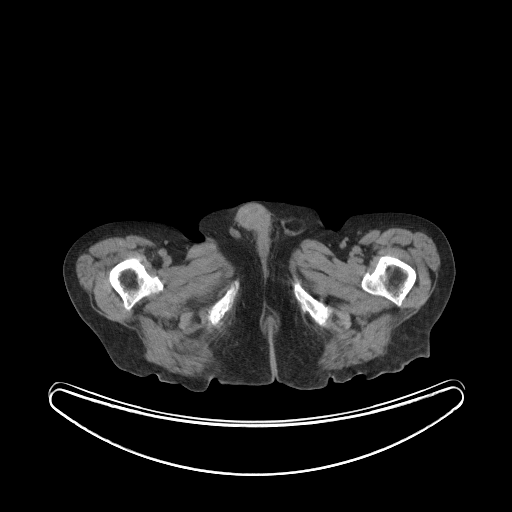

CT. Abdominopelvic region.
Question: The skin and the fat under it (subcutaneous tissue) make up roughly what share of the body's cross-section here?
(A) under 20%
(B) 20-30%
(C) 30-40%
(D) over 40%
Answer: (D) over 40%
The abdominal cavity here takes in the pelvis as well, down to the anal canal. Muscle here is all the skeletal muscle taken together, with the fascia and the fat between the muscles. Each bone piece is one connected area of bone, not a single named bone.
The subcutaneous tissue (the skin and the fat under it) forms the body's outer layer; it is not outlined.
{"torso":[[[256,199],[310,206],[333,230],[371,212],[406,212],[436,224],[450,244],[455,279],[430,332],[429,356],[397,372],[330,379],[313,390],[212,379],[195,392],[118,368],[66,291],[62,265],[73,242],[120,220],[165,223],[201,241],[197,224],[205,214]]],"muscle":[{"outer":[[129,234],[177,250],[217,244],[237,269],[239,280],[235,278],[207,311],[208,323],[215,326],[232,307],[239,289],[240,294],[230,323],[209,343],[215,361],[201,375],[185,376],[148,361],[136,332],[97,313],[79,284],[75,265],[82,250],[98,238]],"hole":[[130,257],[137,257],[139,258],[146,271],[151,276],[157,276],[160,279],[163,283],[163,289],[158,293],[152,294],[149,296],[146,296],[142,298],[129,310],[127,310],[124,307],[123,301],[121,297],[113,288],[109,281],[109,271],[111,268],[117,263]]},{"outer":[[388,225],[408,225],[433,240],[440,257],[435,288],[420,309],[395,329],[384,355],[341,369],[321,369],[317,361],[322,337],[304,321],[292,287],[300,309],[318,325],[327,325],[332,310],[297,278],[289,283],[291,253],[305,238],[337,251],[369,230]],"hole":[[383,255],[390,255],[396,257],[410,265],[415,270],[415,273],[416,274],[415,282],[402,301],[400,306],[396,305],[393,302],[383,296],[371,294],[365,291],[361,287],[361,281],[364,274],[366,272],[369,273],[372,272],[374,270],[380,256]]},{"outer":[[268,310],[272,310],[276,313],[277,313],[278,315],[278,317],[279,318],[279,325],[278,326],[278,328],[277,330],[275,332],[274,331],[272,333],[272,334],[270,333],[268,333],[267,332],[264,332],[261,328],[261,318],[262,316]],"hole":[[269,315],[270,315],[271,316],[272,316],[274,318],[274,320],[275,321],[275,323],[273,326],[273,329],[271,329],[270,330],[269,329],[268,329],[268,328],[267,327],[266,327],[266,326],[264,323],[264,320],[266,318],[267,318],[269,316]]}],"bones":[[[383,255],[390,255],[396,257],[410,265],[415,270],[415,273],[416,274],[415,282],[402,301],[400,306],[396,305],[393,302],[383,296],[371,294],[365,291],[361,287],[361,281],[364,274],[366,272],[369,273],[372,272],[374,270],[380,256]],[[130,257],[137,257],[139,258],[146,271],[151,276],[157,276],[160,279],[163,283],[163,289],[158,293],[152,294],[149,296],[146,296],[142,298],[129,310],[127,310],[124,307],[123,301],[121,297],[113,288],[109,281],[109,271],[111,268],[117,263]],[[295,278],[298,280],[301,286],[309,294],[320,302],[323,303],[331,310],[331,312],[327,319],[326,325],[325,326],[322,326],[318,324],[307,312],[303,311],[301,309],[300,303],[295,297],[293,291],[293,287],[292,286],[292,283],[294,281]],[[235,279],[239,281],[239,288],[234,298],[234,300],[231,305],[231,307],[224,314],[224,315],[220,319],[220,320],[215,325],[211,325],[209,323],[209,321],[207,319],[208,311],[210,309],[210,308],[225,294],[227,290],[230,287],[232,282]]],"abdominal_cavity":[[[269,315],[270,315],[271,316],[272,316],[274,318],[274,320],[275,321],[275,323],[273,326],[273,329],[271,329],[270,330],[269,329],[268,329],[268,328],[267,327],[266,327],[266,326],[264,323],[264,320],[266,318],[267,318],[269,316]]]}